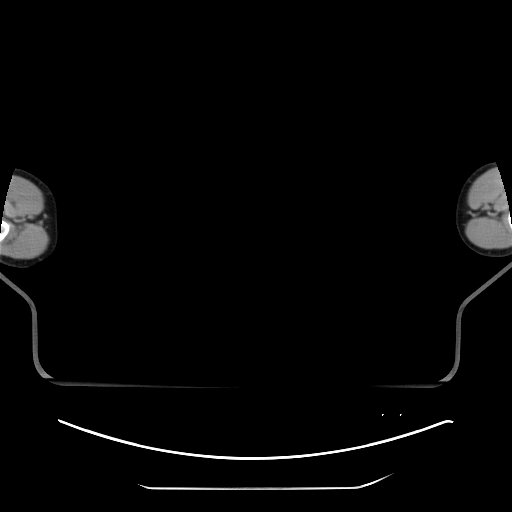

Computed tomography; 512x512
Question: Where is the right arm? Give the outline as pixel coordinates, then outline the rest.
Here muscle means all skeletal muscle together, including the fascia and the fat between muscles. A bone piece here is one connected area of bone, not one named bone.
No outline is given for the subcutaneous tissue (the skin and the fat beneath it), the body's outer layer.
Answer: Outlines (x, y in pixels):
right arm: 15,168 21,168 29,171 41,179 50,188 53,193 57,205 57,223 58,224 58,242 57,246 55,252 51,258 45,263 38,266 20,268 0,263 0,225 3,220 1,214 6,196 6,192
muscle 1: 15,175 24,177 33,182 42,191 44,196 45,211 47,214 47,226 49,234 49,241 44,251 31,259 13,259 4,256 0,257 0,243 7,236 10,229 9,223 1,216 1,214 6,196 6,192 11,177
muscle 2: 490,168 497,168 504,187 504,191 508,205 508,206 506,207 506,219 509,225 509,227 511,228 511,247 505,249 484,249 481,248 471,242 465,233 465,198 467,196 469,187 472,182 479,175
left arm: 490,161 494,161 496,164 497,170 504,187 507,204 509,208 509,215 511,218 511,255 507,255 503,257 484,256 471,250 460,238 456,229 456,225 455,224 455,205 456,204 457,196 462,184 466,178 476,168
bones 1: 3,219 7,223 8,223 8,227 9,228 9,229 8,230 8,232 7,233 7,234 6,235 6,236 2,240 2,241 1,241 0,242 0,225 1,224 1,223 2,222 2,221 3,220
bones 2: 507,207 508,207 509,208 509,215 510,216 510,217 511,218 511,227 510,227 510,225 509,224 509,223 508,222 508,220 507,219